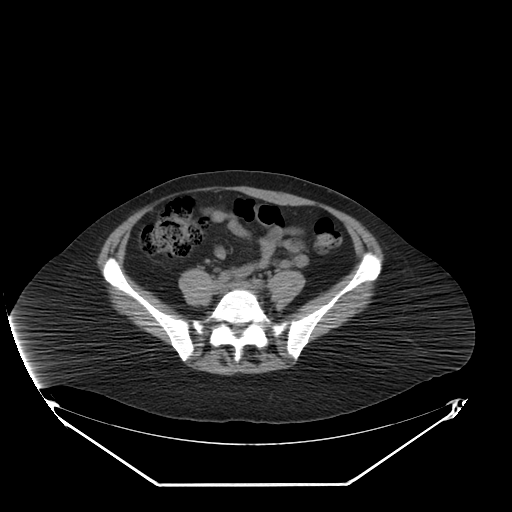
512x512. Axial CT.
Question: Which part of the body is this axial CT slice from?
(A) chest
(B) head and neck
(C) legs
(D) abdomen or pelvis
Answer: (D) abdomen or pelvis
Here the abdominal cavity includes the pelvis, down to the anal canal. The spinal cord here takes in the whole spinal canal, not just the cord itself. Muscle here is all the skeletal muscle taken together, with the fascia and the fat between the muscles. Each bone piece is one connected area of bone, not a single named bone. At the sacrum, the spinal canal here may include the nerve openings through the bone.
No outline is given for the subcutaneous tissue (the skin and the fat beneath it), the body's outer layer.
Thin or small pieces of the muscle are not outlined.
Outlines (x, y in pixels):
muscle 1: 208,186 249,186 282,191 342,211 359,221 374,236 384,254 383,267 382,259 367,250 363,253 352,277 326,303 297,319 273,322 294,313 306,302 327,290 350,272 357,258 352,238 344,224 321,207 314,205 281,205 235,190 197,191 168,198 145,213 131,228 125,246 123,267 138,285 154,294 162,302 172,306 178,313 188,315 191,318 189,320 178,318 153,305 132,287 118,261 113,256 109,256 101,268 103,279 141,305 165,332 170,345 180,359 165,356 160,352 153,336 140,330 125,315 118,313 111,306 96,265 96,259 110,233 140,208 174,192
muscle 2: 380,274 371,302 345,323 322,336 317,348 303,356 292,368 262,373 237,372 222,375 196,370 184,363 193,354 195,346 190,335 190,323 199,335 204,332 204,323 212,323 208,342 214,347 232,346 233,360 236,363 240,361 246,345 253,345 258,349 268,345 265,331 267,327 275,338 287,328 286,351 296,361 317,324 335,303 360,284 376,280
muscle 3: 193,268 199,268 205,271 211,276 211,279 214,282 214,293 212,296 212,299 210,303 207,305 200,305 196,307 193,305 191,305 187,303 181,290 178,286 178,279 180,277 181,274 186,270 192,269
muscle 4: 287,270 296,270 297,271 299,271 303,275 305,279 305,284 301,291 288,303 287,303 283,307 279,307 271,300 270,294 268,293 268,286 267,284 268,283 268,280 275,274 278,272 286,271
bones: 367,251 381,259 380,273 334,303 316,324 296,360 287,351 287,327 275,337 267,326 267,345 258,348 246,344 236,362 232,345 214,346 209,342 212,322 203,323 201,334 190,322 188,329 194,346 184,362 145,308 102,275 104,263 113,257 135,291 160,311 187,321 203,322 226,292 245,288 257,296 269,319 280,323 297,320 326,304 353,277 with a hole at 231,324 245,324 246,325 246,326 241,331 241,334 239,336 237,336 236,335 236,334 231,329 231,328 230,327 230,325
spinal cord: 231,324 245,324 246,325 246,326 241,331 241,334 239,336 237,336 236,335 236,334 231,329 231,328 230,327 230,325
torso: 224,169 285,173 334,189 366,207 409,243 439,263 458,282 472,310 475,344 467,363 458,370 418,383 402,393 357,411 301,423 174,419 70,386 38,389 8,324 13,305 35,273 96,219 130,198 181,175
abdominal cavity: 210,191 240,192 281,206 321,208 345,227 353,244 356,261 349,272 338,281 294,312 276,321 272,321 265,313 258,296 245,287 226,291 203,321 180,313 127,273 124,267 126,246 134,225 160,203 184,194, around a hole outlined by 193,268 199,268 205,271 211,276 211,279 214,282 214,293 212,296 212,299 210,303 207,305 200,305 196,307 193,305 191,305 187,303 181,290 178,286 178,279 180,277 181,274 186,270 192,269